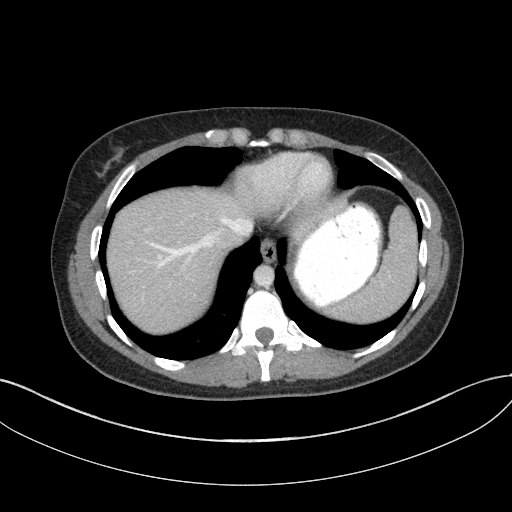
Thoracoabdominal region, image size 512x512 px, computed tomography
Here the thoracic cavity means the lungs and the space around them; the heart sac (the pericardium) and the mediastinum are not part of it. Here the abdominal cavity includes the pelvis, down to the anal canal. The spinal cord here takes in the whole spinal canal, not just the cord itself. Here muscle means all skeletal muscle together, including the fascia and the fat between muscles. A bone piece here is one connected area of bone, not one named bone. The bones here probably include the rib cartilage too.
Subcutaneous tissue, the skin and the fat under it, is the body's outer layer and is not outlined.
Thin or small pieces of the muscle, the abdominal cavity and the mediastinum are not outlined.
Outlines:
abdominal cavity 1: [[151,335],[173,333],[191,325],[203,317],[213,302],[219,273],[225,258],[232,250],[251,237],[255,222],[234,204],[220,184],[215,186],[192,184],[156,190],[144,194],[126,204],[114,216],[106,246],[106,265],[114,296],[120,310],[128,320],[141,331]]
abdominal cavity 2: [[358,325],[375,323],[395,313],[410,295],[419,274],[419,241],[417,239],[415,218],[409,206],[394,192],[373,185],[360,185],[345,190],[340,189],[334,191],[324,206],[286,235],[280,233],[280,237],[286,240],[284,269],[296,296],[312,311],[326,318]]
thoracic cavity 1: [[179,360],[211,353],[227,340],[261,260],[258,238],[226,258],[203,318],[151,336],[127,320],[113,296],[105,265],[109,228],[114,214],[144,193],[220,183],[241,159],[233,146],[185,146],[153,161],[126,184],[103,225],[98,257],[111,313],[142,348]]
thoracic cavity 2: [[340,349],[351,349],[366,346],[395,327],[407,311],[418,281],[406,303],[395,314],[381,322],[358,326],[332,321],[312,312],[293,293],[283,269],[285,240],[283,238],[278,239],[276,247],[279,264],[276,268],[275,288],[286,314],[310,336],[324,345]]
thoracic cavity 3: [[419,240],[420,240],[421,237],[422,223],[413,200],[401,183],[364,158],[339,149],[334,149],[335,161],[339,168],[338,186],[342,189],[345,189],[360,184],[373,184],[379,185],[394,191],[402,197],[408,205],[410,206],[416,218],[418,228],[418,239]]
spinal cord: [[264,344],[266,344],[272,338],[272,336],[273,335],[273,333],[272,332],[271,329],[270,329],[269,328],[267,328],[266,327],[263,327],[262,328],[260,328],[259,329],[258,329],[256,331],[256,336],[257,337],[257,338],[261,342],[262,342]]
pericardium: [[285,234],[324,205],[328,196],[333,193],[335,185],[335,168],[331,160],[323,152],[306,148],[285,148],[268,150],[258,154],[250,154],[247,158],[234,168],[229,177],[226,178],[221,184],[233,199],[235,204],[252,219],[262,225],[267,224],[275,226]]
muscle 1: [[236,388],[256,381],[265,382],[259,379],[259,363],[250,348],[241,356],[216,351],[186,360],[183,369],[169,371],[157,366],[152,355],[135,343],[129,347],[109,327],[105,315],[110,308],[108,300],[101,298],[94,280],[94,272],[100,266],[98,258],[92,261],[89,257],[89,241],[92,228],[104,222],[108,213],[107,197],[125,166],[80,223],[67,268],[68,288],[75,308],[104,343],[149,370],[181,382]]
muscle 2: [[287,382],[340,376],[386,353],[412,330],[444,285],[450,253],[442,236],[441,213],[425,189],[395,165],[412,198],[422,196],[431,212],[431,227],[423,227],[422,232],[428,246],[426,266],[420,266],[419,275],[419,280],[423,278],[426,281],[423,296],[418,306],[412,312],[408,310],[397,325],[399,329],[388,344],[357,359],[351,354],[363,348],[340,350],[303,345],[299,351],[292,352],[276,346],[270,363],[271,380]]
muscle 3: [[362,157],[362,153],[365,150],[370,150],[363,146],[346,144],[328,136],[304,129],[276,127],[270,129],[262,136],[256,136],[244,127],[230,127],[229,128],[214,128],[224,129],[230,132],[233,129],[234,129],[237,127],[239,127],[241,128],[244,131],[245,131],[250,138],[267,138],[268,135],[277,128],[283,130],[286,133],[290,131],[298,131],[306,136],[308,141],[307,143],[305,145],[296,146],[291,145],[285,141],[282,143],[286,145],[299,147],[325,146],[331,148],[339,148]]
muscle 4: [[138,170],[160,156],[181,146],[185,145],[210,145],[211,146],[215,146],[210,145],[203,137],[203,134],[205,131],[201,131],[189,135],[186,135],[183,137],[172,140],[169,142],[161,144],[158,146],[146,150],[139,154],[133,160],[136,159],[139,161]]
mediastinum 1: [[246,298],[254,290],[257,289],[267,289],[271,292],[275,291],[274,277],[275,268],[278,264],[275,246],[280,232],[275,227],[267,225],[262,226],[256,222],[254,226],[254,232],[252,235],[257,236],[260,240],[260,253],[262,260],[253,271]]
mediastinum 2: [[241,161],[247,157],[250,153],[258,153],[262,151],[265,151],[268,149],[273,149],[274,148],[298,147],[291,147],[290,146],[286,146],[283,144],[272,144],[270,146],[268,146],[267,147],[247,147],[246,146],[234,146],[240,149],[242,152],[242,159]]
mediastinum 3: [[335,191],[337,189],[339,189],[339,188],[337,186],[337,172],[338,171],[338,168],[334,161],[334,158],[333,157],[333,149],[326,148],[325,147],[305,147],[323,151],[327,154],[330,159],[332,160],[336,168],[336,185],[334,190]]
torso: [[207,401],[343,392],[405,369],[425,356],[440,339],[458,295],[464,256],[463,230],[444,181],[422,151],[399,131],[371,118],[328,109],[220,106],[131,120],[105,132],[78,155],[67,177],[50,246],[52,282],[69,343],[82,359],[112,380],[154,395]]
bones 1: [[261,381],[270,380],[269,363],[276,345],[283,345],[292,351],[299,350],[303,344],[312,347],[323,345],[304,333],[285,314],[278,295],[267,290],[254,291],[245,300],[238,324],[218,350],[219,353],[230,350],[233,355],[241,355],[250,347],[260,363]]; inner edge: [[264,344],[266,344],[272,338],[272,336],[273,335],[273,333],[272,332],[271,329],[270,329],[269,328],[267,328],[266,327],[263,327],[262,328],[260,328],[259,329],[258,329],[256,331],[256,336],[257,337],[257,338],[261,342],[262,342]]
bones 2: [[217,146],[221,146],[228,138],[236,145],[245,144],[247,146],[267,146],[285,140],[299,145],[305,144],[307,141],[301,133],[286,134],[279,129],[274,130],[267,139],[250,139],[239,128],[230,133],[224,130],[209,129],[205,132],[204,137],[210,144]]
bones 3: [[107,209],[109,209],[119,192],[129,180],[129,179],[136,172],[137,170],[137,165],[138,164],[138,161],[135,160],[131,162],[124,169],[124,170],[122,172],[121,175],[115,183],[108,197],[107,203],[106,204],[106,208]]
bones 4: [[399,181],[402,181],[402,176],[400,172],[389,161],[388,161],[385,158],[384,158],[379,154],[373,151],[365,151],[363,153],[363,157],[364,157],[366,159],[367,159],[378,167],[381,168],[384,171],[387,172],[390,175],[391,175],[394,178],[397,179]]
bones 5: [[354,358],[357,358],[360,356],[362,356],[365,354],[367,354],[372,351],[374,351],[382,347],[384,345],[388,343],[395,335],[398,329],[397,327],[394,328],[384,336],[383,336],[378,340],[375,341],[370,345],[367,346],[360,351],[352,354],[352,356]]
bones 6: [[426,228],[429,228],[431,224],[431,218],[430,217],[430,212],[429,211],[428,206],[426,202],[423,199],[423,198],[420,196],[416,196],[414,198],[414,201],[419,211],[419,213],[420,214],[420,216],[421,217],[421,219],[423,223],[423,226]]
bones 7: [[92,260],[94,260],[97,257],[98,255],[98,248],[99,247],[99,242],[100,241],[100,236],[101,235],[101,231],[102,230],[102,224],[100,224],[99,223],[97,224],[93,228],[92,230],[92,232],[91,233],[91,240],[90,241],[90,257]]
bones 8: [[169,370],[177,370],[178,369],[183,368],[185,366],[185,362],[184,361],[179,361],[178,360],[170,360],[169,359],[166,359],[165,358],[162,358],[161,357],[158,357],[153,355],[152,357],[153,358],[153,360],[157,365],[165,369],[168,369]]
bones 9: [[129,346],[132,346],[133,345],[133,343],[132,341],[125,334],[125,333],[116,322],[116,321],[114,319],[112,315],[110,313],[107,314],[106,315],[106,318],[107,319],[107,321],[110,327],[113,330],[113,331],[125,343],[126,343]]
bones 10: [[410,311],[412,311],[417,306],[422,296],[422,294],[425,288],[425,281],[423,279],[422,280],[420,280],[418,283],[418,285],[417,286],[416,291],[414,294],[414,296],[413,297],[413,299],[412,300],[411,305],[409,308],[409,310]]
bones 11: [[103,299],[106,299],[107,298],[107,294],[106,293],[106,287],[105,286],[105,282],[104,281],[104,279],[103,278],[103,275],[102,274],[101,269],[100,268],[98,268],[95,272],[95,280],[96,281],[96,283],[97,284],[97,286],[98,287],[99,292]]
bones 12: [[423,267],[424,267],[425,266],[425,263],[426,262],[426,259],[427,258],[427,246],[426,245],[426,241],[425,240],[425,239],[423,237],[422,237],[421,238],[421,240],[420,241],[420,248],[419,249],[419,261],[420,262],[420,265],[421,266],[422,266]]